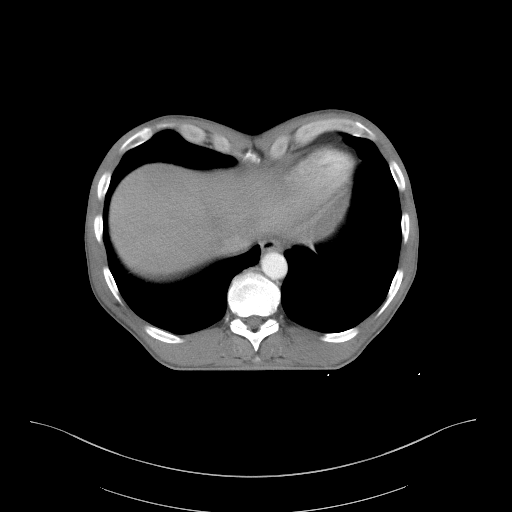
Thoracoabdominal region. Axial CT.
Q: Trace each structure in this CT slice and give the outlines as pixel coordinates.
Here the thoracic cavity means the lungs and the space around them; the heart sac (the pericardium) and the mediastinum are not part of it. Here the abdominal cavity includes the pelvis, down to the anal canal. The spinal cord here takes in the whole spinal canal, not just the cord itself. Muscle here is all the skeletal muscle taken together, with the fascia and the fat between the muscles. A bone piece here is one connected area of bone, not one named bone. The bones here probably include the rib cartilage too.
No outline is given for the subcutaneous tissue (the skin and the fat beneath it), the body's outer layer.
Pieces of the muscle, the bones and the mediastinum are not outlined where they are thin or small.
A: The spinal cord is outlined by 253 315; 255 315; 256 316; 260 316; 263 318; 263 321; 258 327; 258 328; 257 328; 256 329; 251 329; 250 328; 249 328; 246 324; 246 323; 244 321; 244 319; 245 318; 246 318; 247 317; 249 317; 250 316; 252 316. The bones appear in 14 outlined pieces: piece 1: 246 269; 262 274; 275 283; 280 289; 280 305; 278 311; 274 315; 278 321; 279 328; 276 332; 267 335; 260 342; 257 351; 254 350; 252 344; 247 338; 232 332; 229 326; 229 322; 224 319; 228 308; 227 292; 231 280; 234 276 with a hole at 253 315; 255 315; 256 316; 260 316; 263 318; 263 321; 258 327; 258 328; 257 328; 256 329; 251 329; 250 328; 249 328; 246 324; 246 323; 244 321; 244 319; 245 318; 246 318; 247 317; 249 317; 250 316; 252 316; piece 2: 328 118; 346 118; 358 121; 371 130; 375 134; 376 139; 373 141; 368 138; 356 136; 344 131; 330 130; 329 131; 324 131; 317 135; 308 143; 302 146; 298 146; 293 140; 293 134; 300 126; 311 121; 319 119; 327 119; piece 3: 168 122; 171 122; 177 125; 182 123; 187 123; 197 126; 201 128; 206 133; 207 135; 206 140; 204 142; 203 145; 200 145; 190 142; 184 138; 177 131; 177 127; 176 126; 171 128; 157 129; 156 128; 156 125; 158 123; 167 123; piece 4: 214 133; 218 133; 224 136; 228 140; 231 147; 238 153; 243 154; 249 149; 251 149; 255 152; 259 157; 260 159; 259 162; 258 163; 254 163; 247 160; 246 161; 236 155; 227 154; 216 150; 212 147; 212 144; 211 143; 211 136; piece 5: 148 126; 150 127; 152 127; 155 131; 153 135; 150 138; 149 138; 144 142; 127 150; 123 153; 120 152; 119 150; 119 148; 120 146; 129 137; 130 137; 136 132; 139 131; 142 128; 144 127; 147 127; piece 6: 146 324; 150 324; 153 326; 155 326; 165 331; 167 331; 173 334; 178 335; 183 339; 183 341; 179 343; 168 343; 167 342; 164 342; 161 340; 159 340; 156 338; 154 338; 150 335; 149 335; 145 331; 144 329; 144 326; piece 7: 397 268; 401 268; 403 270; 403 276; 402 277; 400 285; 395 295; 393 297; 391 301; 388 304; 388 305; 385 308; 385 309; 378 316; 376 316; 376 314; 379 308; 384 302; 387 296; 388 290; 390 287; 392 279; 395 274; 395 272; piece 8: 355 326; 357 326; 358 327; 359 331; 355 336; 348 340; 342 341; 341 342; 329 342; 328 341; 324 341; 323 340; 321 340; 320 338; 320 337; 324 333; 334 333; 335 332; 341 332; 342 331; 347 330; 350 328; 352 328; piece 9: 283 134; 288 135; 290 137; 290 140; 287 143; 286 145; 287 148; 285 152; 281 157; 277 159; 272 159; 269 156; 269 150; 270 149; 270 147; 273 143; 273 142; 276 139; 276 138; 277 138; 280 135; 282 135; piece 10: 390 160; 394 160; 397 163; 403 175; 403 177; 404 178; 404 181; 405 182; 405 188; 403 191; 399 191; 398 190; 398 188; 396 185; 396 183; 392 176; 392 174; 391 173; 391 171; 389 168; 389 165; 388 164; 388 161; piece 11: 106 265; 108 266; 110 270; 110 272; 116 283; 116 285; 118 288; 118 290; 119 291; 119 293; 120 294; 120 296; 122 300; 122 303; 119 303; 118 301; 115 298; 115 297; 110 290; 105 280; 105 278; 103 274; 103 267; piece 12: 106 171; 109 171; 111 172; 111 176; 110 177; 109 184; 108 185; 108 187; 107 188; 106 193; 104 196; 104 198; 102 200; 101 200; 99 199; 97 196; 97 185; 98 184; 98 182; 99 181; 99 179; 100 177; 102 175; 102 174; piece 13: 100 213; 101 214; 102 214; 102 221; 103 222; 103 233; 102 234; 102 243; 99 243; 97 241; 97 240; 96 239; 96 237; 95 236; 95 232; 94 231; 94 218; 95 217; 95 216; 96 215; 97 215; 98 214; 99 214; piece 14: 402 212; 406 212; 408 214; 408 216; 409 217; 409 232; 408 233; 408 237; 407 238; 407 240; 406 241; 406 242; 405 243; 404 243; 402 241; 402 233; 401 232; 401 215; 402 214. The muscle is outlined by 328 112; 346 113; 347 114; 354 115; 363 119; 369 123; 381 134; 389 144; 396 157; 398 159; 405 175; 407 185; 408 186; 408 190; 410 195; 410 200; 412 205; 412 209; 414 214; 416 235; 415 236; 414 265; 413 266; 412 273; 398 301; 395 304; 389 314; 382 323; 363 342; 354 353; 349 357; 334 364; 330 364; 329 365; 279 365; 278 366; 216 366; 215 365; 181 366; 180 365; 171 363; 161 358; 129 325; 120 318; 104 302; 99 295; 93 282; 93 279; 91 274; 91 266; 90 265; 90 259; 89 258; 89 250; 88 249; 88 244; 87 243; 87 232; 88 231; 88 222; 89 221; 89 210; 91 204; 91 198; 93 193; 93 188; 95 185; 97 176; 109 154; 119 142; 137 128; 146 124; 155 121; 158 121; 161 119; 165 119; 166 118; 196 119; 197 120; 208 122; 220 126; 223 128; 225 128; 246 137; 254 138; 255 137; 262 136; 266 133; 300 117; 303 117; 307 115; 311 115; 316 113; 327 113; inner edge: 328 118; 358 121; 371 130; 385 160; 394 160; 404 178; 398 198; 409 217; 409 232; 400 243; 397 263; 403 276; 385 309; 378 316; 376 309; 357 325; 355 336; 341 342; 321 340; 323 332; 291 320; 281 307; 274 315; 278 330; 257 351; 223 317; 180 333; 179 343; 149 335; 144 329; 149 323; 110 290; 103 274; 106 248; 94 231; 94 218; 104 206; 97 185; 119 163; 124 154; 120 146; 144 127; 158 132; 158 123; 187 123; 206 133; 204 146; 211 148; 211 136; 218 133; 238 153; 251 149; 271 160; 270 147; 280 135; 290 137; 286 146; 291 150; 298 146; 293 134; 300 126. The abdominal cavity appears in 2 outlined pieces: piece 1: 287 149; 292 154; 283 159; 277 172; 266 227; 271 234; 260 237; 243 253; 177 285; 148 287; 126 277; 114 257; 108 236; 110 198; 126 174; 149 162; 206 169; 231 166; 236 163; 233 156; 236 156; 258 164; 260 158; 281 158; piece 2: 349 194; 349 209; 350 210; 351 209; 349 217; 349 223; 339 238; 329 244; 318 245; 315 248; 316 253; 306 247; 305 245; 298 243; 294 239; 296 237; 294 235; 295 234; 305 230; 317 223; 328 211; 334 206; 337 205. The pericardium is outlined by 322 141; 337 141; 342 144; 344 144; 353 151; 357 158; 359 164; 355 171; 353 182; 350 188; 349 193; 337 204; 334 205; 328 210; 317 222; 305 229; 303 229; 294 234; 274 234; 267 231; 278 172; 284 159; 301 149. The thoracic cavity appears in 2 outlined pieces: piece 1: 344 133; 372 141; 387 162; 398 191; 401 242; 397 267; 380 306; 357 325; 341 331; 322 332; 287 317; 280 307; 280 288; 289 268; 286 252; 307 248; 316 254; 318 246; 335 242; 350 223; 356 173; 364 160; 353 146; 345 142; piece 2: 165 129; 231 155; 235 163; 198 168; 149 161; 119 180; 109 198; 107 236; 125 277; 140 286; 169 288; 259 248; 258 261; 230 280; 223 317; 179 334; 149 323; 128 305; 108 265; 103 241; 104 199; 112 173; 124 153. The torso is outlined by 321 108; 343 108; 367 117; 386 134; 405 165; 419 223; 417 271; 405 299; 358 357; 337 370; 177 371; 159 363; 100 306; 89 285; 84 253; 84 219; 90 184; 105 153; 124 132; 162 114; 201 116; 244 132; 256 133; 292 116. The mediastinum appears in 2 outlined pieces: piece 1: 272 234; 293 235; 295 236; 293 239; 298 244; 305 246; 295 247; 285 252; 284 255; 288 268; 287 273; 280 287; 262 273; 247 268; 255 265; 259 261; 260 248; 258 245; 255 245; 249 250; 246 250; 252 244; 257 242; 260 238; piece 2: 330 131; 344 132; 343 133; 343 140; 347 145; 353 147; 356 150; 357 155; 363 160; 361 166; 359 166; 360 162; 354 151; 344 143; 337 140; 318 141; 301 148; 294 153; 292 153; 292 149; 296 147; 302 147; 311 142; 320 134.